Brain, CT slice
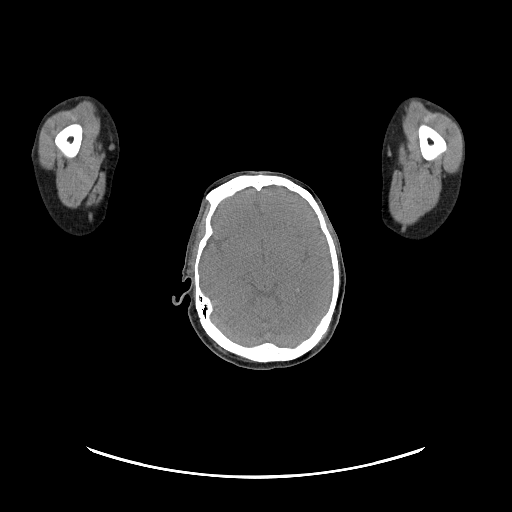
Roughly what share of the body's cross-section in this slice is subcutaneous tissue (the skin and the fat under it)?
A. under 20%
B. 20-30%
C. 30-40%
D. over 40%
Answer: B. 20-30%
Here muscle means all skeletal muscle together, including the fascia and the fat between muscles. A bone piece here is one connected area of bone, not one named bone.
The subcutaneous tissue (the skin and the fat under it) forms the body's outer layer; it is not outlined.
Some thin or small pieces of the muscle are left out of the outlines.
{"head":[[[240,170],[279,171],[310,186],[339,238],[345,267],[339,322],[318,353],[292,366],[256,370],[220,358],[204,345],[190,324],[189,295],[186,294],[179,305],[172,302],[172,296],[177,302],[190,284],[187,278],[181,280],[182,268],[204,190],[215,180]]],"left_arm":[[[410,96],[423,97],[440,105],[450,112],[459,123],[465,141],[465,161],[463,167],[461,186],[457,201],[451,213],[443,224],[433,234],[420,240],[411,240],[402,237],[386,226],[381,216],[382,191],[381,151],[383,138],[387,125],[394,110],[402,100]]],"right_arm":[[[82,94],[91,95],[97,98],[103,103],[111,114],[119,138],[119,157],[113,174],[111,192],[108,200],[105,218],[101,224],[91,233],[82,236],[76,236],[62,230],[49,215],[36,184],[31,161],[31,149],[36,129],[44,114],[57,103],[67,98]]],"bones":[{"outer":[[244,174],[282,176],[309,191],[319,205],[335,246],[340,283],[338,297],[330,323],[318,343],[294,359],[256,362],[232,353],[219,345],[205,332],[196,311],[194,301],[194,266],[198,245],[205,233],[205,218],[209,209],[209,204],[204,198],[216,186]],"hole":[[267,186],[283,187],[307,202],[325,238],[331,265],[332,283],[327,308],[311,333],[293,346],[282,346],[271,341],[244,345],[234,341],[212,320],[212,300],[200,285],[200,261],[207,242],[214,232],[212,218],[220,203],[246,188],[251,187],[258,192]]},[[421,124],[425,124],[433,128],[443,137],[443,138],[446,142],[446,149],[445,151],[443,152],[440,155],[439,155],[436,158],[430,161],[425,160],[423,158],[421,154],[421,151],[420,150],[420,146],[419,145],[419,137],[418,136],[418,128]],[[73,123],[78,123],[80,124],[82,128],[82,137],[81,138],[81,143],[80,144],[80,147],[79,148],[79,150],[77,154],[74,157],[72,158],[68,158],[66,157],[56,146],[55,144],[55,136],[57,134],[57,133],[59,132],[63,128]]],"muscle":[{"outer":[[410,100],[419,100],[428,109],[445,114],[456,124],[460,132],[462,141],[462,157],[459,170],[450,178],[442,189],[437,206],[423,216],[415,224],[411,226],[405,226],[396,223],[390,216],[388,210],[388,194],[394,166],[394,159],[397,150],[402,110]],"hole":[[421,124],[425,124],[433,128],[443,137],[443,138],[446,142],[446,149],[445,151],[443,152],[440,155],[439,155],[436,158],[430,161],[425,160],[423,158],[421,154],[421,151],[420,150],[420,146],[419,145],[419,137],[418,136],[418,128]]},{"outer":[[83,100],[89,100],[92,102],[95,105],[100,116],[102,136],[107,148],[106,188],[103,199],[97,208],[90,211],[72,211],[64,207],[59,202],[56,196],[54,183],[48,174],[39,165],[38,142],[41,128],[45,121],[51,115],[59,110],[69,109]],"hole":[[73,123],[78,123],[80,124],[82,128],[82,137],[81,138],[81,143],[80,144],[80,147],[79,148],[79,150],[77,154],[74,157],[72,158],[68,158],[66,157],[56,146],[55,144],[55,136],[57,134],[57,133],[59,132],[63,128]]},[[206,201],[208,204],[208,209],[204,218],[204,233],[199,240],[197,245],[197,249],[196,250],[196,254],[194,260],[194,265],[193,266],[193,281],[191,276],[188,273],[190,252],[197,231],[198,224],[201,219],[203,211],[205,208],[205,202]],[[211,339],[212,340],[213,340],[219,346],[220,346],[223,349],[226,350],[228,352],[229,352],[232,354],[234,354],[237,356],[239,356],[240,357],[245,358],[250,361],[252,361],[255,362],[252,362],[251,361],[245,361],[244,360],[239,359],[237,357],[236,357],[233,355],[230,355],[229,354],[227,354],[226,353],[224,353],[223,352],[222,352],[220,350],[219,350],[213,344],[213,342],[211,340]],[[324,214],[334,234],[334,236],[336,239],[336,242],[337,243],[337,246],[338,247],[338,258],[338,255],[337,254],[337,251],[336,250],[336,246],[335,245],[334,240],[331,235],[331,233],[329,231],[329,229],[327,226],[327,223],[326,222]],[[330,324],[330,327],[329,328],[329,329],[328,330],[328,331],[327,332],[326,335],[322,339],[322,340],[319,343],[319,342],[321,340],[321,339],[323,337],[323,336],[326,333],[326,332],[328,330],[328,328],[329,327]]],"brain":[[[267,186],[283,187],[307,202],[325,238],[331,265],[332,283],[327,308],[311,333],[293,346],[282,346],[271,341],[244,345],[234,341],[212,320],[212,300],[200,285],[200,261],[207,242],[214,232],[212,218],[220,203],[246,188],[251,187],[258,192]]]}